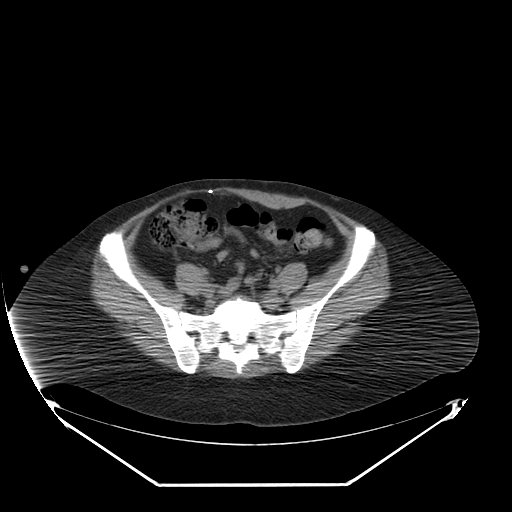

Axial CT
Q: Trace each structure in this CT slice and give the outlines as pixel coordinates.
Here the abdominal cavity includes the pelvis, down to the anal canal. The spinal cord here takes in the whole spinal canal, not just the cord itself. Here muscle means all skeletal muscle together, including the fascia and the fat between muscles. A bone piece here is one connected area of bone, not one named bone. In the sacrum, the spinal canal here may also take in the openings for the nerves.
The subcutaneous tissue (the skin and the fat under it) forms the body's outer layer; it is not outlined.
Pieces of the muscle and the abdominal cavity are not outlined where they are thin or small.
A: The abdominal cavity is outlined by 196,193 234,194 276,210 311,205 345,246 319,275 308,277 302,261 281,269 277,286 297,292 289,311 266,312 242,294 210,313 186,311 184,295 204,287 202,269 178,263 176,287 168,288 133,247 149,214. The spinal cord appears in 3 outlined pieces: piece 1: 234,345 235,345 236,345 237,345 238,345 239,345 240,345 241,345 242,345 243,345 243,346 243,347 243,348 242,349 241,349 240,350 239,350 238,350 237,350 236,350 235,349 234,348 233,347 233,346; piece 2: 250,333 251,333 252,333 253,334 253,335 253,336 253,337 253,338 253,339 252,340 252,341 251,342 250,342 249,342 248,341 248,340 248,339 248,338 248,337 249,336 249,335 249,334; piece 3: 224,332 225,332 226,333 226,334 226,335 226,336 226,337 226,338 226,339 225,340 224,340 223,339 223,338 223,337 223,336 223,335 223,334 223,333. The bones are outlined by 361,224 373,231 376,245 321,309 295,373 286,372 277,353 260,352 239,374 216,348 200,353 194,373 183,372 160,317 99,253 104,234 121,231 141,285 178,311 210,314 242,295 275,315 311,304 336,283, around a hole outlined by 234,345 235,345 236,345 237,345 238,345 239,345 240,345 241,345 242,345 243,345 243,346 243,347 243,348 242,349 241,349 240,350 239,350 238,350 237,350 236,350 235,349 234,348 233,347 233,346. The torso is outlined by 201,178 293,182 356,201 389,219 439,257 467,288 480,330 478,349 472,361 459,371 440,374 364,409 326,420 285,426 177,422 138,412 74,385 36,388 26,372 7,316 30,273 44,257 111,208 168,185. The muscle appears in 4 outlined pieces: piece 1: 217,187 244,188 307,197 330,206 362,223 356,224 353,228 354,234 350,254 344,269 335,283 318,299 292,310 289,308 291,300 298,292 292,292 287,295 278,286 278,275 289,263 305,263 307,277 310,278 323,274 342,255 346,246 346,237 322,209 308,203 290,208 276,209 234,193 196,192 169,200 149,213 143,220 135,237 132,250 138,263 161,281 166,288 175,289 177,287 173,276 177,265 182,262 197,266 203,274 205,280 201,291 196,295 187,293 183,295 185,304 183,310 178,310 157,301 135,275 128,259 122,231 111,230 164,197 185,189; piece 2: 376,236 387,252 391,295 377,308 370,311 371,314 366,319 367,330 359,339 354,340 349,347 325,358 323,361 297,372 304,363 306,352 312,342 316,322 322,309 333,294 364,267 377,245; piece 3: 98,243 98,253 111,271 120,280 138,292 159,317 166,341 172,351 177,366 182,372 172,370 153,361 151,357 141,355 138,351 132,349 126,343 114,322 105,312 92,303 92,298 89,293 90,269 93,252; piece 4: 214,349 216,349 216,356 219,359 234,364 235,372 239,375 243,373 243,367 246,364 262,357 260,353 263,353 266,356 277,354 279,362 285,372 268,373 249,378 224,378 193,374 200,365 201,353 210,354.